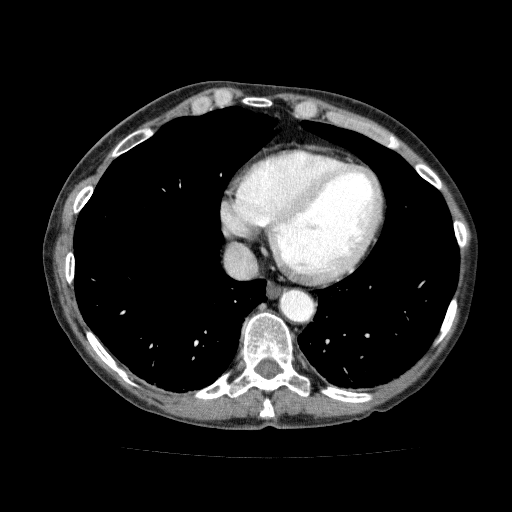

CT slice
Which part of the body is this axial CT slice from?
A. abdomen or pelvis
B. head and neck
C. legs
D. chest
Answer: D. chest
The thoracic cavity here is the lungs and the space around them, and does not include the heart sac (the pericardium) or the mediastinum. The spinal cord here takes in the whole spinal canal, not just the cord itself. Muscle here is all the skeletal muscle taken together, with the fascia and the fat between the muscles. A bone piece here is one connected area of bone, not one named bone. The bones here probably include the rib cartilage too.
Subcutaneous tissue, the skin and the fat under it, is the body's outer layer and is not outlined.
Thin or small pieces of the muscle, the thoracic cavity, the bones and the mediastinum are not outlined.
The torso is outlined by 206 80; 309 87; 368 103; 419 137; 459 188; 478 237; 468 319; 429 381; 389 410; 375 411; 360 420; 299 429; 228 430; 175 421; 145 411; 116 393; 88 367; 60 327; 49 299; 42 244; 64 182; 88 150; 127 116; 171 90. The muscle appears in 4 outlined pieces: piece 1: 109 151; 107 156; 113 159; 97 183; 83 186; 73 200; 71 213; 77 215; 77 218; 72 249; 64 256; 64 276; 74 289; 77 306; 89 328; 84 330; 89 345; 127 384; 136 388; 139 385; 118 362; 148 385; 174 393; 194 391; 193 397; 196 399; 210 400; 223 395; 236 398; 251 387; 268 394; 281 386; 307 397; 312 385; 309 377; 295 368; 295 358; 298 355; 328 384; 320 387; 321 394; 342 402; 369 402; 374 397; 371 391; 355 390; 385 384; 410 368; 431 345; 435 347; 442 341; 457 313; 459 304; 454 294; 459 277; 460 252; 467 244; 468 233; 462 220; 452 219; 440 191; 443 185; 439 176; 463 213; 471 235; 469 266; 465 274; 466 288; 459 320; 452 336; 437 358; 412 384; 381 404; 360 413; 330 417; 299 413; 272 418; 275 416; 274 407; 267 394; 258 414; 261 418; 248 416; 220 420; 193 419; 168 413; 146 403; 122 387; 87 353; 63 313; 53 272; 53 252; 60 229; 60 211; 74 186; 93 172; piece 2: 277 93; 294 93; 315 97; 364 116; 387 129; 375 123; 359 119; 334 109; 327 109; 323 112; 322 117; 327 122; 315 120; 313 119; 318 116; 320 110; 318 105; 311 99; 296 101; 292 105; 292 113; 285 105; 274 103; 267 96; piece 3: 212 87; 233 87; 243 91; 250 95; 242 97; 240 102; 237 101; 232 103; 234 97; 233 93; 227 87; 219 87; 216 88; 211 95; 203 94; 196 97; 190 103; 189 113; 175 116; 156 129; 150 126; 143 126; 135 129; 188 97; piece 4: 401 140; 406 144; 407 144; 416 153; 417 153; 422 158; 423 158; 423 159; 438 174; 438 175; 427 164; 423 162; 421 162; 420 161; 418 162; 416 162; 415 163; 412 163; 408 161; 399 152; 398 152; 397 151; 402 146; 403 144. The bones appear in 14 outlined pieces: piece 1: 259 312; 269 312; 281 318; 293 334; 295 355; 293 365; 298 373; 308 377; 310 393; 302 396; 285 385; 266 393; 251 386; 236 397; 226 394; 210 399; 194 397; 195 391; 210 385; 232 367; 242 346; 240 340; 242 324; 245 319 with a hole at 263 359; 272 359; 274 361; 275 361; 277 363; 277 364; 280 369; 280 371; 278 373; 277 373; 274 376; 273 376; 270 378; 266 378; 265 377; 262 376; 260 374; 259 374; 256 371; 256 370; 255 369; 256 368; 257 365; piece 2: 327 110; 334 110; 345 115; 356 118; 359 120; 368 122; 372 124; 375 124; 381 128; 393 133; 400 140; 402 144; 397 150; 395 150; 381 144; 363 133; 361 133; 353 129; 332 124; 328 122; 328 121; 323 117; 324 112; piece 3: 219 88; 227 88; 232 93; 233 97; 231 101; 231 104; 227 105; 221 108; 215 107; 213 109; 209 110; 201 114; 191 114; 190 113; 190 106; 191 105; 191 103; 196 98; 203 95; 211 96; 214 91; 216 89; 218 89; piece 4: 87 329; 89 329; 96 336; 96 337; 107 350; 107 351; 115 359; 118 365; 120 367; 123 368; 127 372; 128 376; 138 385; 137 387; 127 383; 118 374; 117 372; 106 364; 98 356; 90 345; 86 337; 85 330; piece 5: 329 384; 332 384; 340 388; 345 388; 346 389; 351 389; 357 392; 371 392; 373 394; 373 397; 372 399; 366 402; 349 402; 348 401; 342 401; 341 400; 338 400; 337 399; 332 398; 320 392; 321 390; 321 387; 324 387; piece 6: 143 127; 150 127; 155 130; 154 133; 150 137; 144 140; 142 142; 135 145; 125 152; 120 154; 118 156; 114 158; 112 158; 108 156; 110 151; 115 146; 115 145; 124 137; 125 137; 128 134; 131 133; 133 131; 139 128; 142 128; piece 7: 454 295; 455 295; 457 298; 457 303; 458 305; 457 306; 456 313; 453 319; 453 321; 451 324; 451 326; 441 341; 435 346; 433 346; 432 345; 432 343; 436 336; 439 333; 440 326; 443 321; 443 319; 446 313; 447 308; piece 8: 303 100; 311 100; 317 105; 317 106; 318 107; 318 109; 319 110; 319 113; 317 115; 317 116; 316 116; 312 119; 302 119; 301 118; 298 118; 297 117; 296 117; 293 114; 293 105; 296 102; 298 102; 299 101; 302 101; piece 9: 419 162; 421 163; 423 163; 427 165; 438 176; 438 177; 441 181; 441 184; 442 185; 442 189; 441 190; 439 190; 437 189; 433 185; 432 185; 429 182; 428 182; 425 179; 424 179; 416 171; 416 170; 410 163; 412 164; 415 164; piece 10: 88 184; 92 184; 94 185; 95 186; 94 187; 94 189; 90 197; 88 199; 86 203; 83 206; 83 207; 80 210; 78 214; 73 214; 72 213; 72 211; 73 210; 73 203; 74 202; 74 200; 78 192; 83 187; 84 187; piece 11: 454 219; 458 219; 463 222; 466 229; 466 232; 467 233; 467 241; 466 242; 465 246; 463 248; 461 252; 459 249; 459 247; 458 246; 458 244; 455 237; 455 234; 454 233; 454 228; 453 227; 453 220; piece 12: 246 96; 266 96; 268 98; 269 98; 272 101; 272 102; 273 103; 272 104; 272 105; 271 105; 270 106; 268 106; 267 107; 254 107; 253 106; 249 106; 248 105; 246 105; 241 102; 241 100; 242 99; 242 98; 243 98; piece 13: 69 250; 72 250; 72 251; 73 252; 73 256; 74 257; 74 278; 73 279; 73 286; 72 287; 71 287; 71 286; 68 283; 68 282; 67 281; 67 280; 66 279; 66 277; 65 276; 65 256; 66 255; 66 254; 67 253; 67 252; piece 14: 267 395; 269 397; 269 398; 270 399; 270 401; 271 402; 271 404; 273 407; 273 411; 274 412; 274 416; 271 418; 262 418; 261 417; 260 417; 260 416; 259 415; 259 414; 260 413; 260 411; 263 408; 263 400; 264 399; 264 398. The spinal cord is outlined by 263 359; 272 359; 274 361; 275 361; 277 363; 277 364; 280 369; 280 371; 278 373; 277 373; 274 376; 273 376; 270 378; 266 378; 265 377; 262 376; 260 374; 259 374; 256 371; 256 370; 255 369; 256 368; 257 365. The pericardium is outlined by 288 140; 327 146; 347 152; 361 160; 372 170; 383 192; 385 209; 383 221; 375 241; 355 269; 341 279; 324 286; 283 284; 266 277; 260 270; 249 247; 235 239; 227 240; 224 238; 220 228; 220 206; 223 194; 234 174; 258 152. The thoracic cavity appears in 2 outlined pieces: piece 1: 230 105; 275 120; 274 135; 233 174; 219 206; 221 267; 237 281; 263 279; 265 300; 244 317; 241 346; 231 367; 199 389; 167 391; 142 381; 117 361; 84 320; 74 288; 76 222; 115 158; 150 138; 175 117; 201 115; piece 2: 302 120; 353 130; 396 151; 440 192; 452 220; 459 250; 458 277; 438 333; 410 367; 371 388; 352 389; 328 383; 295 354; 294 342; 315 318; 318 291; 346 277; 364 261; 381 234; 387 212; 384 191; 373 170; 347 148; 306 129. The mediastinum appears in 3 outlined pieces: piece 1: 224 239; 235 240; 247 246; 261 273; 274 282; 283 285; 327 286; 317 291; 318 303; 314 318; 297 336; 296 341; 283 319; 272 312; 259 311; 245 318; 266 300; 266 281; 263 278; 241 281; 229 276; 222 267; 220 259; 220 249; piece 2: 237 102; 254 108; 267 108; 273 104; 281 104; 285 106; 296 118; 301 119; 300 123; 306 130; 347 149; 359 158; 336 147; 297 139; 288 139; 274 143; 258 151; 275 135; 274 126; 276 120; 267 114; 256 112; 242 105; 232 104; piece 3: 374 242; 375 242; 375 243; 373 245; 373 246; 372 247; 371 250; 368 253; 368 254; 366 256; 366 257; 360 264; 360 263; 362 261; 362 260; 368 253; 368 251; 370 249; 370 248; 372 246; 372 245; 374 243.